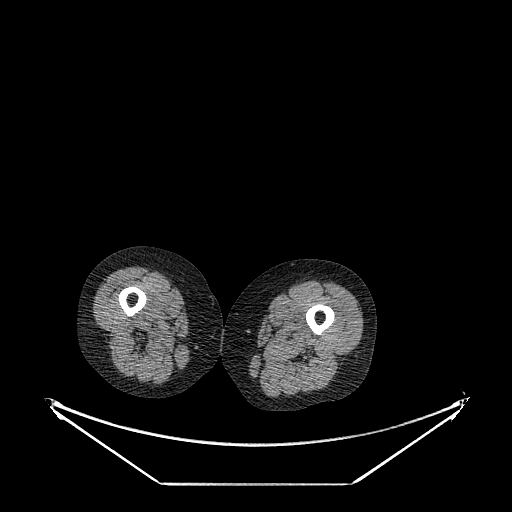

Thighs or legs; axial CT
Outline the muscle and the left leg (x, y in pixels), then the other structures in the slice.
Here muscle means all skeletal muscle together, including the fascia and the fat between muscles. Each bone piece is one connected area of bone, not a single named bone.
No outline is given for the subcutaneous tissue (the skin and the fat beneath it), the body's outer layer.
muscle 1: (307, 278) (332, 279) (351, 290) (363, 307) (364, 333) (362, 340) (359, 346) (350, 355) (342, 368) (341, 373) (328, 388) (318, 393) (310, 394) (296, 400) (272, 400) (264, 396) (252, 385) (246, 370) (247, 356) (254, 338) (257, 322) (269, 300) (285, 286) with a hole at (318, 303) (330, 306) (334, 311) (334, 313) (335, 314) (334, 321) (332, 324) (329, 327) (325, 329) (322, 332) (322, 333) (319, 335) (318, 334) (315, 334) (312, 331) (312, 330) (307, 324) (305, 319) (305, 313) (307, 309) (311, 305) (313, 304) (317, 304)
muscle 2: (137, 263) (147, 263) (162, 268) (178, 285) (184, 296) (194, 342) (189, 368) (186, 373) (173, 382) (162, 387) (147, 388) (133, 384) (120, 376) (109, 362) (102, 338) (96, 331) (98, 329) (93, 324) (94, 319) (91, 312) (91, 304) (98, 284) (104, 277) (121, 266); inner edge: (127, 286) (129, 287) (131, 286) (136, 286) (137, 287) (141, 288) (145, 292) (146, 296) (147, 297) (147, 299) (146, 300) (146, 302) (144, 306) (132, 316) (128, 316) (126, 315) (126, 314) (121, 308) (119, 304) (119, 302) (118, 301) (118, 294) (119, 292) (123, 288)
left leg: (299, 258) (318, 258) (340, 263) (353, 270) (365, 282) (372, 295) (377, 316) (376, 339) (372, 360) (369, 370) (361, 384) (353, 392) (341, 399) (321, 402) (292, 411) (263, 410) (253, 406) (244, 398) (222, 364) (220, 355) (225, 321) (237, 297) (257, 276) (274, 265)
right leg: (136, 245) (154, 246) (175, 252) (195, 265) (203, 274) (216, 297) (221, 309) (222, 320) (224, 322) (220, 354) (214, 366) (189, 388) (169, 397) (139, 397) (115, 388) (99, 375) (86, 361) (77, 342) (77, 306) (80, 292) (87, 276) (91, 270) (108, 255) (120, 249)
bones 1: (318, 303) (330, 306) (334, 311) (334, 313) (335, 314) (334, 321) (332, 324) (329, 327) (325, 329) (322, 332) (322, 333) (319, 335) (318, 334) (315, 334) (312, 331) (312, 330) (307, 324) (305, 319) (305, 313) (307, 309) (311, 305) (313, 304) (317, 304)
bones 2: (127, 286) (129, 287) (131, 286) (136, 286) (137, 287) (141, 288) (145, 292) (146, 296) (147, 297) (147, 299) (146, 300) (146, 302) (144, 306) (132, 316) (128, 316) (126, 315) (126, 314) (121, 308) (119, 304) (119, 302) (118, 301) (118, 294) (119, 292) (123, 288)